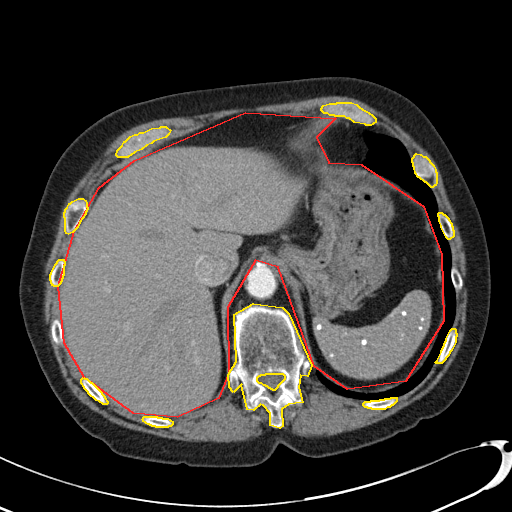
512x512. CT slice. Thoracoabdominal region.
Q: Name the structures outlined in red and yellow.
A: red: abdominal cavity; yellow: bones.
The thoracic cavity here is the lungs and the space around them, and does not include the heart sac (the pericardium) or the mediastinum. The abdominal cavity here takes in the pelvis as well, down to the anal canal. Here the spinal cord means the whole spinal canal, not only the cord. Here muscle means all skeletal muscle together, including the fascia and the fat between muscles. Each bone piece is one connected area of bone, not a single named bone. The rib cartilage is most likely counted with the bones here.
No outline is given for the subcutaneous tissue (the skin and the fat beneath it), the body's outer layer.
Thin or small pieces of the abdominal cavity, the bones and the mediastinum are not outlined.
Outlines:
abdominal cavity: [[245,112],[335,118],[316,137],[328,162],[361,164],[423,206],[441,254],[443,321],[405,381],[347,389],[314,366],[278,267],[255,260],[227,307],[228,373],[218,398],[177,417],[133,413],[84,377],[64,343],[58,286],[74,231],[99,187],[134,160]]
bones 1: [[253,303],[282,307],[288,313],[311,365],[307,376],[300,375],[298,387],[302,402],[288,404],[281,409],[282,426],[279,428],[270,425],[270,413],[263,405],[260,404],[253,410],[247,409],[241,384],[233,392],[229,387],[228,374],[236,361],[234,314]], around a hole outlined by [[266,373],[282,373],[284,375],[284,379],[277,386],[277,387],[274,390],[273,390],[272,389],[271,389],[270,388],[269,388],[267,386],[266,386],[265,385],[264,385],[261,383],[259,383],[257,381],[257,377],[259,375],[260,375],[261,374],[265,374]]
bones 2: [[161,126],[165,126],[170,130],[168,134],[165,137],[153,141],[151,143],[146,145],[141,149],[134,152],[127,157],[118,157],[116,155],[117,150],[122,145],[124,141],[125,141],[130,136],[134,134],[137,134],[140,132],[143,132],[151,128],[160,127]]
bones 3: [[337,102],[351,102],[356,104],[359,107],[371,114],[375,118],[375,122],[370,125],[366,125],[365,124],[354,122],[349,118],[347,118],[344,116],[335,116],[334,115],[330,115],[327,113],[324,113],[321,110],[321,108],[323,105],[329,103],[336,103]]
bones 4: [[78,198],[82,198],[85,200],[86,202],[86,206],[87,207],[87,209],[85,212],[85,214],[79,222],[77,227],[72,232],[68,234],[66,233],[65,231],[65,218],[64,217],[64,212],[65,211],[65,209],[67,207],[69,203],[70,203],[72,201]]
bones 5: [[416,153],[420,154],[423,156],[425,156],[433,165],[435,169],[435,171],[436,172],[436,183],[435,185],[434,185],[432,187],[431,187],[426,182],[425,182],[419,177],[418,177],[415,173],[414,167],[413,166],[413,163],[412,162],[412,158]]
bones 6: [[452,328],[454,328],[455,329],[455,332],[456,333],[456,336],[455,337],[455,342],[451,350],[449,352],[448,355],[445,358],[445,359],[441,363],[436,363],[435,362],[437,360],[441,352],[441,350],[444,345],[444,343],[446,340],[446,338],[450,330]]
bones 7: [[83,377],[84,378],[86,378],[90,382],[91,382],[101,392],[101,393],[104,396],[104,397],[107,401],[107,403],[106,404],[103,404],[99,401],[96,400],[88,393],[88,392],[84,388],[84,387],[81,383],[81,379]]
bones 8: [[391,397],[396,397],[396,401],[392,405],[391,405],[389,407],[387,407],[384,409],[372,409],[371,408],[368,408],[367,407],[365,407],[363,405],[363,403],[365,401],[370,401],[371,400],[379,400],[380,399],[384,399],[385,398],[390,398]]
bones 9: [[59,259],[63,259],[63,260],[64,261],[64,265],[63,266],[63,275],[62,276],[62,278],[61,279],[61,281],[60,282],[60,283],[57,286],[54,286],[53,285],[52,285],[52,284],[51,283],[51,281],[50,280],[50,274],[51,273],[55,264]]
bones 10: [[144,416],[156,416],[157,417],[161,417],[162,418],[167,418],[172,421],[172,424],[170,426],[168,426],[167,427],[156,427],[155,426],[152,426],[151,425],[150,425],[149,424],[148,424],[143,421],[143,420],[142,419]]
bones 11: [[439,212],[441,212],[443,214],[444,214],[448,218],[448,219],[451,223],[451,225],[452,226],[452,229],[453,230],[453,236],[449,239],[448,239],[446,237],[441,227],[441,225],[439,221],[439,217],[438,216],[438,213]]
torso: [[321,76],[369,80],[410,99],[440,134],[472,194],[488,247],[491,291],[485,333],[462,390],[442,413],[407,431],[321,458],[282,444],[251,467],[192,467],[116,454],[84,431],[52,391],[20,308],[21,267],[55,163],[84,129],[132,103],[183,91]]
thoracic cavity: [[365,130],[398,139],[415,175],[432,189],[450,248],[455,291],[451,328],[427,374],[405,393],[370,400],[332,391],[315,371],[355,392],[377,393],[398,386],[422,367],[432,350],[444,321],[446,298],[442,254],[426,209],[407,189],[362,165],[368,151]]
muscle: [[333,95],[360,100],[397,123],[429,153],[441,175],[463,243],[467,303],[461,345],[439,381],[419,399],[360,428],[312,437],[280,428],[282,409],[303,402],[301,375],[307,377],[312,367],[332,392],[364,400],[365,408],[384,410],[419,384],[435,363],[441,364],[456,342],[452,326],[463,278],[452,264],[448,240],[454,236],[452,223],[439,211],[432,188],[437,183],[436,169],[425,155],[416,152],[411,157],[398,138],[371,125],[376,122],[371,113],[354,102],[337,101],[323,104],[323,113],[314,115],[234,113],[156,145],[101,184],[87,205],[82,197],[68,203],[64,231],[73,235],[65,257],[56,261],[49,274],[51,285],[57,287],[59,316],[51,320],[51,338],[57,345],[65,344],[83,376],[81,385],[96,401],[106,405],[109,400],[143,416],[142,421],[152,427],[167,428],[173,424],[170,419],[215,402],[228,377],[230,391],[241,385],[246,409],[263,406],[273,428],[243,441],[184,441],[124,427],[82,403],[62,376],[44,321],[45,264],[62,208],[80,178],[114,138],[141,123]]; inner edge: [[161,126],[165,126],[170,130],[168,134],[165,137],[153,141],[151,143],[146,145],[141,149],[134,152],[127,157],[118,157],[116,155],[117,150],[122,145],[124,141],[125,141],[130,136],[134,134],[137,134],[140,132],[143,132],[151,128],[160,127]]
spinal cord: [[266,373],[282,373],[284,375],[284,379],[277,386],[277,387],[274,390],[273,390],[272,389],[271,389],[270,388],[269,388],[267,386],[266,386],[265,385],[264,385],[261,383],[259,383],[257,381],[257,377],[259,375],[260,375],[261,374],[265,374]]
mediastinum 1: [[255,261],[265,261],[277,267],[285,283],[290,287],[308,354],[313,366],[304,350],[300,335],[289,313],[282,306],[270,306],[253,302],[243,306],[233,314],[235,361],[229,370],[230,354],[226,335],[228,307],[233,299],[234,292],[242,274],[246,268]]
mediastinum 2: [[332,116],[344,117],[357,124],[366,126],[375,126],[378,128],[381,128],[391,135],[383,133],[376,133],[372,130],[365,129],[363,131],[363,139],[367,147],[365,160],[359,164],[331,164],[327,156],[318,144],[317,137],[324,129],[335,123],[336,118]]